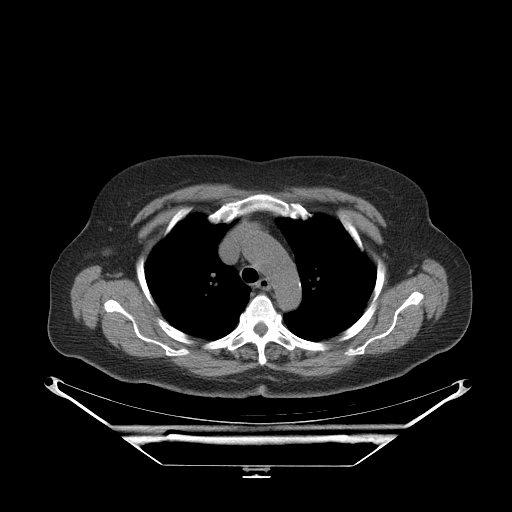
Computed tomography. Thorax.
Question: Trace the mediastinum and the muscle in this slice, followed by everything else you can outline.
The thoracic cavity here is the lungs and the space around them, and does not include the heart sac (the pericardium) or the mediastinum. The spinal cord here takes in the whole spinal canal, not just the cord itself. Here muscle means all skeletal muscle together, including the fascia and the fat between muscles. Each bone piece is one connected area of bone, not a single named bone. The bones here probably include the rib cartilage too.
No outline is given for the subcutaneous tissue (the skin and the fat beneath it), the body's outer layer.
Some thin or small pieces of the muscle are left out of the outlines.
Answer: {"mediastinum":[[[256,211],[267,211],[279,216],[275,222],[294,255],[301,286],[301,301],[295,310],[285,312],[282,315],[266,294],[258,293],[250,299],[248,285],[240,277],[237,270],[232,265],[224,263],[218,254],[218,246],[222,238],[236,223],[235,220],[227,223]]],"muscle":[{"outer":[[201,183],[265,191],[327,186],[364,198],[386,222],[389,283],[398,282],[422,258],[437,261],[449,288],[443,313],[401,347],[325,377],[260,367],[208,379],[159,358],[117,349],[72,313],[74,278],[94,264],[135,275],[164,318],[156,318],[158,326],[172,339],[192,345],[191,336],[202,338],[207,340],[202,348],[209,351],[232,352],[251,343],[261,366],[270,342],[289,351],[323,352],[330,344],[322,340],[340,333],[339,342],[350,339],[375,313],[387,267],[380,257],[375,264],[370,259],[351,220],[342,212],[337,218],[313,213],[267,192],[227,201],[207,215],[191,213],[192,205],[181,207],[147,258],[141,253],[135,262],[141,224],[130,223],[136,214],[157,197]],"holes":[[[109,299],[117,301],[127,312],[133,316],[138,330],[143,336],[159,341],[174,349],[186,348],[189,350],[189,353],[185,355],[168,356],[165,354],[165,350],[161,346],[139,338],[135,333],[132,322],[125,315],[118,311],[108,312],[105,310],[103,305]],[[414,291],[418,291],[422,293],[423,298],[419,303],[410,304],[399,312],[397,315],[394,327],[387,335],[381,338],[375,339],[370,342],[366,346],[364,353],[362,354],[346,355],[344,353],[347,349],[360,346],[369,338],[384,332],[391,325],[396,309]]]}],"thoracic_cavity":[[[189,214],[204,215],[212,224],[230,224],[235,221],[221,238],[217,246],[217,254],[224,264],[232,266],[236,270],[239,277],[249,288],[249,300],[239,314],[235,327],[225,335],[211,340],[190,335],[170,324],[156,303],[146,280],[145,262],[152,249]],[[314,214],[323,214],[337,219],[359,250],[365,252],[375,265],[375,281],[373,289],[370,299],[361,315],[341,332],[319,341],[309,340],[295,334],[283,322],[283,314],[295,311],[301,304],[302,286],[294,252],[276,222],[278,217],[305,221],[311,218]]],"bones":[{"outer":[[258,294],[270,299],[292,333],[309,341],[327,343],[329,348],[323,351],[300,347],[289,350],[270,341],[264,348],[266,363],[263,365],[258,362],[257,347],[251,342],[232,351],[226,347],[204,349],[204,343],[219,339],[236,327],[240,314]],"hole":[[261,322],[262,323],[263,323],[266,326],[266,327],[267,328],[267,329],[266,330],[266,331],[262,335],[260,335],[258,333],[257,333],[254,330],[254,327],[258,323],[260,323]]},[[258,193],[267,193],[287,203],[298,203],[312,213],[313,215],[304,220],[300,218],[294,219],[290,217],[276,215],[273,212],[267,210],[256,210],[235,217],[226,223],[224,222],[212,223],[207,219],[207,216],[214,212],[223,204],[227,202],[243,199]],[[379,258],[384,262],[386,269],[385,270],[385,276],[384,277],[383,284],[380,293],[376,300],[376,309],[368,322],[356,334],[346,340],[339,341],[338,339],[341,333],[344,330],[351,326],[362,315],[366,308],[371,302],[371,297],[376,281],[376,264]],[[109,299],[117,301],[127,312],[133,316],[138,330],[143,336],[159,341],[174,349],[186,348],[189,350],[189,353],[185,355],[168,356],[165,354],[165,350],[161,346],[139,338],[135,333],[132,322],[125,315],[118,311],[108,312],[105,310],[103,305]],[[414,291],[418,291],[422,293],[423,298],[419,303],[410,304],[399,312],[397,315],[394,327],[387,335],[381,338],[375,339],[370,342],[366,346],[364,353],[362,354],[346,355],[344,353],[347,349],[360,346],[369,338],[384,332],[391,325],[396,309]],[[141,254],[143,254],[145,258],[145,261],[144,262],[144,274],[145,275],[145,280],[147,284],[147,287],[155,303],[157,305],[157,308],[155,308],[148,301],[147,298],[145,296],[141,288],[141,286],[138,281],[138,279],[136,275],[135,263],[138,257]],[[157,318],[162,318],[163,319],[164,319],[170,325],[171,325],[176,329],[177,329],[178,330],[189,335],[194,340],[194,343],[193,343],[192,344],[186,344],[183,342],[178,341],[177,340],[172,338],[170,336],[169,336],[159,326],[159,325],[157,322]],[[339,213],[342,213],[344,214],[350,220],[352,224],[357,230],[359,234],[359,236],[361,239],[362,244],[364,247],[364,251],[360,250],[356,243],[353,240],[353,239],[350,236],[350,235],[347,232],[347,231],[340,222],[338,218],[338,214]],[[186,206],[192,206],[192,209],[190,213],[189,213],[183,219],[180,220],[172,228],[172,229],[165,236],[164,236],[164,231],[166,227],[168,225],[172,217],[178,210]]],"spinal_cord":[[[261,322],[262,323],[263,323],[266,326],[266,327],[267,328],[267,329],[266,330],[266,331],[262,335],[260,335],[258,333],[257,333],[254,330],[254,327],[258,323],[260,323]]],"torso":[[[178,153],[255,160],[296,154],[345,155],[376,161],[405,174],[424,191],[432,222],[461,248],[469,263],[472,311],[465,333],[451,348],[401,376],[308,398],[182,394],[120,381],[61,354],[47,335],[53,264],[85,225],[94,196],[110,176],[136,161]]]}